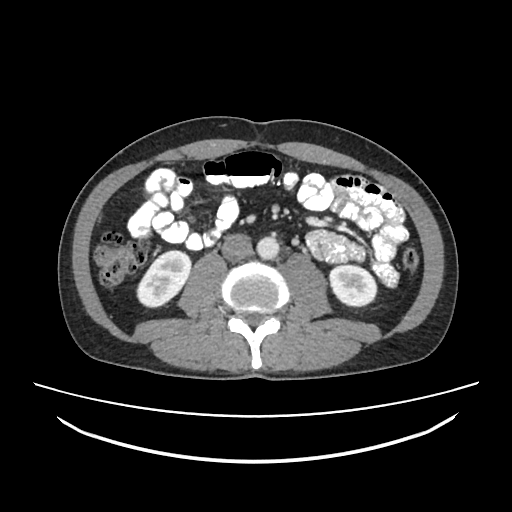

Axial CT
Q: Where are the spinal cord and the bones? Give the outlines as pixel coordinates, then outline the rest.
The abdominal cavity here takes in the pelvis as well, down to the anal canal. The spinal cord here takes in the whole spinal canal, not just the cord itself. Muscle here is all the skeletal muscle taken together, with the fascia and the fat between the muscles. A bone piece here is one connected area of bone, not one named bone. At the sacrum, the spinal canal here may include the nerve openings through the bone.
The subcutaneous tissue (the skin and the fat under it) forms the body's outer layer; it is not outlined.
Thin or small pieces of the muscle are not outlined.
A: spinal cord: (252, 329) (254, 329) (255, 327) (259, 323) (262, 322) (266, 318) (266, 316) (264, 316) (261, 314) (258, 314) (257, 313) (253, 313) (252, 314) (249, 314) (248, 313) (244, 313) (243, 314) (241, 314) (241, 317) (243, 319) (244, 319) (249, 324) (249, 325) (252, 328)
bones: (255, 370) (262, 364) (259, 348) (261, 342) (266, 336) (277, 333) (280, 328) (280, 321) (272, 314) (289, 302) (290, 294) (285, 279) (275, 268) (251, 261) (227, 274) (221, 283) (221, 297) (235, 312) (230, 316) (227, 327) (246, 340) (250, 347) (251, 367), around a hole outlined by (252, 329) (254, 329) (255, 327) (259, 323) (262, 322) (266, 318) (266, 316) (264, 316) (261, 314) (258, 314) (257, 313) (253, 313) (252, 314) (249, 314) (248, 313) (244, 313) (243, 314) (241, 314) (241, 317) (243, 319) (244, 319) (249, 324) (249, 325) (252, 328)
abdominal cavity: (127, 333) (142, 320) (187, 316) (177, 308) (189, 274) (212, 251) (227, 272) (251, 260) (273, 265) (306, 255) (326, 284) (326, 317) (371, 322) (386, 332) (417, 293) (419, 236) (397, 198) (346, 168) (262, 147) (158, 162) (109, 197) (92, 234) (95, 287) (108, 315)
muscle: (226, 373) (242, 373) (246, 371) (262, 371) (266, 373) (285, 373) (288, 371) (308, 372) (309, 371) (315, 371) (316, 370) (331, 368) (340, 365) (351, 359) (359, 353) (364, 346) (366, 347) (379, 340) (391, 337) (395, 333) (398, 332) (400, 333) (413, 329) (422, 323) (431, 311) (442, 285) (443, 275) (444, 274) (444, 246) (438, 224) (431, 210) (423, 198) (414, 188) (400, 178) (392, 174) (389, 174) (380, 170) (371, 168) (349, 155) (314, 143) (309, 143) (302, 141) (286, 141) (277, 144) (270, 144) (269, 143) (261, 142) (259, 140) (243, 140) (242, 139) (233, 139) (232, 138) (200, 139) (172, 148) (169, 148) (155, 155) (153, 155) (149, 158) (142, 159) (137, 162) (124, 165) (114, 170) (104, 177) (93, 188) (86, 198) (76, 220) (73, 233) (72, 256) (71, 257) (72, 260) (72, 271) (73, 272) (73, 277) (75, 281) (75, 285) (86, 313) (97, 324) (103, 327) (113, 336) (125, 342) (130, 342) (135, 344) (141, 344) (147, 346) (157, 358) (169, 365) (175, 367) (179, 367) (183, 369) (188, 369) (201, 372) (205, 372) (206, 371) (208, 372) (222, 371) with a hole at (255, 370) (280, 328) (272, 314) (290, 300) (272, 265) (306, 255) (326, 284) (326, 317) (386, 332) (421, 279) (413, 223) (370, 177) (267, 148) (158, 162) (98, 216) (89, 257) (103, 306) (127, 333) (187, 316) (177, 308) (189, 274) (214, 251) (235, 312) (227, 327)
torso: (270, 381) (374, 372) (418, 362) (431, 354) (452, 320) (459, 278) (455, 238) (444, 210) (424, 181) (392, 152) (355, 132) (324, 122) (256, 122) (234, 116) (205, 116) (136, 139) (88, 179) (63, 225) (57, 285) (72, 339) (90, 358) (125, 368) (179, 378) (258, 377)